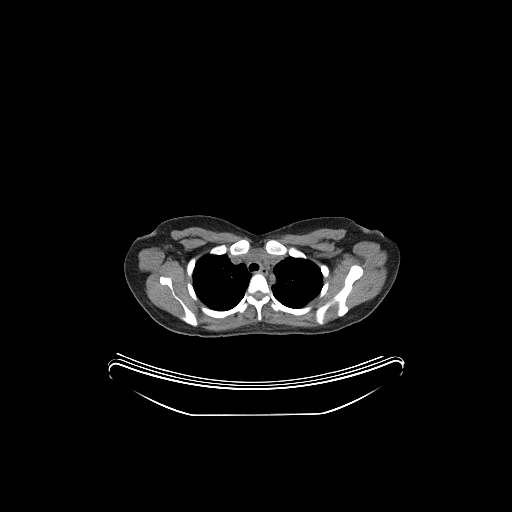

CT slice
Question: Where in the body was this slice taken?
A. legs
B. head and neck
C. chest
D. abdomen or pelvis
Answer: C. chest
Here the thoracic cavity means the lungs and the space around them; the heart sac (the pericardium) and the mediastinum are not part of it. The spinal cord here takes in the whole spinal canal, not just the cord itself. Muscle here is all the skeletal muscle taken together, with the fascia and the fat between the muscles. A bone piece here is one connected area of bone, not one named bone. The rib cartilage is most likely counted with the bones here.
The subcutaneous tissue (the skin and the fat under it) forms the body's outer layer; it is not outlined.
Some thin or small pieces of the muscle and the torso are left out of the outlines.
{"spinal_cord":[[[257,291],[258,291],[259,291],[260,292],[261,292],[262,293],[263,294],[263,295],[263,296],[262,297],[261,298],[260,299],[259,299],[258,299],[257,299],[256,298],[255,298],[254,297],[254,296],[253,295],[254,294],[254,293],[255,293],[256,292]]],"left_arm":[[[373,229],[377,229],[379,230],[384,234],[393,238],[396,241],[400,249],[400,263],[399,264],[393,264],[392,263],[385,262],[379,259],[373,253],[371,249],[371,246],[370,245],[370,237],[371,236],[371,233]]],"thoracic_cavity":[[[208,253],[211,255],[216,255],[217,256],[226,254],[230,261],[234,265],[243,263],[250,274],[248,284],[244,291],[242,297],[234,306],[228,309],[218,310],[208,307],[199,299],[194,289],[192,283],[193,282],[192,276],[197,260]],[[288,256],[293,258],[308,259],[312,261],[319,267],[323,279],[323,283],[317,296],[312,299],[306,305],[302,307],[290,307],[283,304],[275,297],[274,293],[271,288],[271,285],[274,285],[276,283],[276,277],[274,274],[274,267],[280,261],[285,259]]],"bones":[{"outer":[[256,273],[265,277],[274,297],[283,305],[302,308],[308,304],[312,306],[311,310],[295,315],[275,311],[268,302],[261,308],[259,321],[256,308],[252,304],[243,312],[238,311],[221,318],[205,314],[201,305],[218,311],[234,307],[243,297],[251,276]],"hole":[[257,291],[258,291],[259,291],[260,292],[261,292],[262,293],[263,294],[263,295],[263,296],[262,297],[261,298],[260,299],[259,299],[258,299],[257,299],[256,298],[255,298],[254,297],[254,296],[253,295],[254,294],[254,293],[255,293],[256,292]]},[[354,264],[360,265],[363,269],[363,273],[352,284],[351,291],[346,298],[345,303],[348,307],[348,311],[339,317],[337,315],[337,304],[335,303],[325,312],[324,323],[319,324],[316,321],[316,309],[330,300],[342,288],[344,285],[345,277],[350,267]],[[270,239],[275,239],[287,247],[290,247],[292,246],[293,247],[295,247],[297,248],[299,250],[302,251],[307,256],[307,258],[301,258],[300,257],[293,257],[287,254],[286,255],[273,255],[272,254],[269,254],[266,251],[265,249],[265,244],[266,242]],[[240,239],[245,239],[248,241],[250,246],[247,252],[244,252],[239,255],[231,255],[228,252],[224,254],[220,254],[219,255],[217,255],[216,254],[211,254],[209,253],[209,251],[211,248],[216,245],[224,244],[227,247],[228,247],[231,244],[234,243]],[[160,276],[167,276],[171,279],[173,290],[175,294],[180,299],[181,299],[186,306],[194,313],[198,323],[196,326],[190,325],[182,320],[181,318],[184,315],[184,310],[183,309],[183,307],[173,296],[169,287],[165,284],[161,284],[160,283],[159,281]],[[193,256],[196,257],[196,262],[195,263],[195,265],[194,266],[194,268],[193,269],[193,271],[192,272],[192,275],[191,276],[191,278],[190,278],[188,276],[188,275],[187,274],[187,272],[186,271],[186,267],[187,266],[188,261],[190,259],[190,258]],[[188,282],[191,282],[191,283],[192,284],[192,286],[193,287],[193,289],[194,290],[194,291],[195,292],[195,293],[198,298],[198,301],[196,301],[195,300],[194,300],[191,297],[191,296],[189,294],[189,292],[188,291],[188,289],[187,288],[187,283]],[[322,263],[323,264],[325,264],[328,267],[328,268],[329,269],[329,272],[328,273],[328,275],[327,276],[327,277],[324,279],[323,278],[323,276],[322,275],[322,273],[321,272],[321,270],[320,269],[320,267],[319,266],[319,264],[321,264]],[[325,281],[326,281],[327,282],[328,282],[328,287],[327,288],[327,290],[326,291],[326,292],[325,293],[325,294],[322,297],[318,297],[318,295],[319,294],[319,293],[320,292],[320,291],[322,288],[322,286],[323,285],[323,284]]],"mediastinum":[[[254,249],[261,249],[269,255],[273,256],[286,256],[287,255],[285,258],[280,260],[273,267],[273,274],[275,277],[274,284],[270,285],[266,277],[261,272],[256,272],[251,275],[246,265],[243,262],[234,264],[228,256],[227,254],[231,256],[239,256]]],"right_arm":[[[137,237],[138,237],[138,238],[139,239],[139,244],[138,245],[138,248],[137,249],[136,252],[130,258],[129,258],[126,260],[124,260],[124,258],[125,257],[125,255],[126,254],[126,253],[127,252],[128,249],[130,247],[130,246],[131,245],[132,242]]],"muscle":[{"outer":[[194,226],[218,232],[231,232],[246,236],[255,242],[284,234],[304,234],[319,228],[345,229],[347,232],[343,240],[344,244],[350,247],[359,241],[372,241],[387,251],[388,257],[385,264],[387,276],[381,290],[373,298],[349,310],[347,298],[352,291],[353,284],[364,273],[360,264],[352,264],[344,277],[341,288],[315,309],[315,321],[320,325],[318,326],[300,327],[258,322],[228,330],[207,330],[197,326],[199,323],[195,313],[176,294],[172,279],[167,275],[160,275],[158,281],[161,285],[168,287],[172,296],[182,307],[183,315],[181,320],[155,306],[146,295],[138,268],[139,251],[152,244],[168,250],[178,259],[181,256],[181,246],[171,238],[170,232]],"hole":[[240,239],[248,241],[250,250],[261,249],[264,252],[266,242],[275,239],[302,251],[318,266],[325,264],[329,269],[323,280],[328,282],[325,294],[312,299],[308,303],[312,306],[311,310],[301,315],[275,311],[269,302],[262,306],[259,321],[252,304],[243,312],[221,318],[205,314],[200,308],[204,304],[199,299],[194,300],[187,288],[187,283],[193,282],[186,271],[188,261],[193,256],[199,259],[216,245],[228,247]]},[[335,304],[336,304],[336,315],[338,317],[335,319],[333,319],[332,320],[331,320],[330,321],[329,321],[328,322],[327,322],[326,323],[325,323],[325,315],[326,314],[326,312],[328,310],[328,309],[330,307],[331,307],[332,306],[333,306]]],"torso":[[[198,214],[225,219],[255,234],[307,218],[347,217],[372,229],[369,237],[372,253],[385,263],[399,265],[397,276],[386,296],[367,317],[334,332],[228,337],[178,334],[156,323],[138,303],[126,282],[124,261],[137,252],[139,236],[149,233],[162,221]]]}